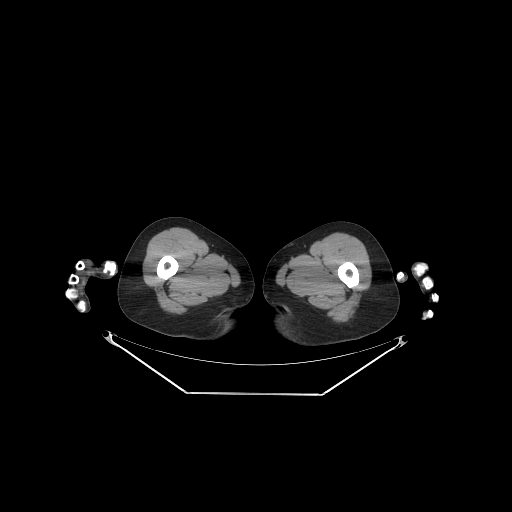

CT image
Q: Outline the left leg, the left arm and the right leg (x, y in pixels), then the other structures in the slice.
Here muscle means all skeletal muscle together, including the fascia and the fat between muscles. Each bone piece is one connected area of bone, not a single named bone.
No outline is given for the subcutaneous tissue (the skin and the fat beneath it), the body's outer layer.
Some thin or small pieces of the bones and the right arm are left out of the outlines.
A: {"left_leg":[[[336,220],[357,223],[370,231],[378,240],[390,261],[398,283],[397,286],[400,295],[399,308],[395,317],[383,329],[371,335],[357,340],[314,347],[299,345],[278,335],[271,325],[273,309],[265,300],[262,293],[264,272],[270,258],[288,242],[321,224]]],"left_arm":[[[416,260],[425,263],[427,265],[427,268],[429,272],[433,277],[432,289],[437,291],[440,295],[440,298],[437,304],[436,302],[433,303],[432,302],[429,302],[427,300],[426,296],[421,292],[417,282],[414,279],[411,273],[411,265],[412,263]],[[426,309],[428,309],[429,310],[430,310],[432,312],[432,313],[433,314],[433,316],[432,317],[432,318],[430,320],[429,320],[428,321],[426,321],[425,320],[424,320],[422,318],[422,317],[421,316],[421,314],[422,313],[422,312],[424,310],[425,310]],[[402,271],[404,271],[405,272],[406,272],[406,273],[407,274],[407,279],[406,280],[406,281],[405,281],[404,282],[402,282],[401,283],[400,282],[399,283],[398,282],[398,281],[397,280],[397,277],[396,276],[400,272],[401,272]]],"right_leg":[[[167,216],[182,216],[199,222],[229,241],[248,261],[255,283],[254,292],[250,301],[237,313],[237,316],[241,320],[239,327],[224,337],[215,340],[196,340],[163,335],[131,321],[124,315],[118,305],[116,294],[117,283],[124,259],[133,241],[147,225]]],"muscle":[{"outer":[[175,226],[188,228],[203,239],[212,251],[217,253],[222,258],[226,259],[237,269],[241,281],[238,286],[213,301],[199,306],[197,309],[190,313],[174,317],[169,316],[159,307],[154,293],[143,282],[142,263],[145,256],[147,243],[151,237],[164,229]],"hole":[[165,254],[171,254],[177,260],[178,262],[178,269],[177,271],[172,276],[164,280],[158,277],[157,275],[157,273],[156,272],[156,267],[157,266],[157,263],[159,259],[163,255]]},{"outer":[[337,231],[348,233],[362,241],[367,250],[372,269],[371,285],[362,294],[355,318],[347,323],[341,324],[336,324],[328,321],[321,313],[315,310],[299,297],[294,296],[285,288],[279,286],[275,281],[277,271],[284,263],[306,253],[314,241]],"hole":[[344,261],[351,261],[357,267],[357,268],[358,269],[358,272],[359,273],[359,282],[358,283],[358,284],[356,286],[355,286],[352,288],[350,288],[349,287],[348,287],[338,277],[338,275],[337,274],[337,268],[338,267],[338,266],[342,262],[343,262]]},[[85,262],[87,262],[90,265],[90,267],[92,269],[100,269],[101,270],[102,269],[102,270],[101,272],[90,272],[89,273],[85,273],[83,275],[83,279],[81,281],[81,286],[80,287],[80,290],[81,291],[81,295],[79,297],[76,298],[78,296],[78,295],[77,294],[77,289],[75,287],[77,286],[77,284],[80,280],[80,278],[78,275],[78,273],[79,271],[81,270],[83,270],[85,268]]],"right_arm":[[[84,257],[90,258],[96,265],[105,260],[110,260],[116,266],[114,275],[109,279],[100,279],[92,276],[88,279],[85,292],[89,298],[91,308],[87,313],[79,312],[69,302],[66,293],[69,288],[68,284],[70,283],[69,279],[72,271],[78,261]]],"bones":[[[344,261],[351,261],[357,267],[357,268],[358,269],[358,272],[359,273],[359,282],[358,283],[358,284],[356,286],[355,286],[352,288],[350,288],[349,287],[348,287],[338,277],[338,275],[337,274],[337,268],[338,267],[338,266],[342,262],[343,262]],[[165,254],[171,254],[177,260],[178,262],[178,269],[177,271],[172,276],[164,280],[158,277],[157,275],[157,273],[156,272],[156,267],[157,266],[157,263],[159,259],[163,255]],[[107,261],[112,261],[115,263],[115,265],[116,266],[116,271],[115,272],[115,273],[114,273],[112,275],[111,275],[108,272],[107,272],[106,273],[104,273],[103,272],[102,272],[102,271],[103,270],[103,268],[104,267],[104,265],[105,264],[105,263]],[[421,262],[423,262],[424,263],[425,263],[427,265],[427,268],[425,270],[425,271],[421,275],[417,275],[417,274],[416,273],[416,272],[414,270],[414,267],[418,263],[420,263]],[[427,276],[428,277],[429,277],[430,278],[431,278],[431,279],[432,280],[432,281],[433,282],[433,285],[429,289],[426,289],[424,287],[424,286],[423,285],[423,284],[422,283],[422,279],[424,277],[426,277]],[[70,287],[74,287],[76,289],[76,294],[77,295],[77,296],[75,298],[68,298],[68,296],[67,295],[67,294],[66,293],[66,290],[67,289],[68,289]],[[72,274],[75,274],[76,275],[77,275],[78,276],[78,277],[79,278],[79,280],[78,281],[78,282],[76,284],[70,284],[70,283],[69,282],[69,279],[70,278],[70,277],[71,276],[71,275]],[[79,300],[83,300],[84,301],[84,302],[85,303],[85,309],[83,311],[81,311],[79,309],[78,309],[77,308],[77,307],[76,306],[76,305],[77,304],[77,303],[78,302],[78,301]],[[80,260],[81,261],[82,261],[84,263],[84,268],[83,269],[81,269],[80,270],[78,270],[76,268],[76,264],[78,262],[78,261],[79,261]]]}